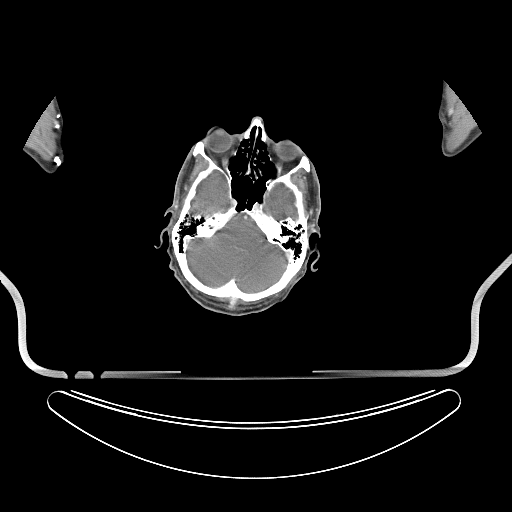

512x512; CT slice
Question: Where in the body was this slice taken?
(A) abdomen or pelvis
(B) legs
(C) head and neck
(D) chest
Answer: (C) head and neck
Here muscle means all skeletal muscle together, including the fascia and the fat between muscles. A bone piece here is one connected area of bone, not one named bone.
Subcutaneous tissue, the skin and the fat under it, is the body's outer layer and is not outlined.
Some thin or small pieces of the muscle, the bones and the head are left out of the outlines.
Outlines:
head: 255,116 272,140 291,139 314,164 320,236 312,234 309,243 317,243 319,256 315,261 317,253 311,254 304,276 283,301 231,316 205,309 174,278 165,231 162,245 155,245 191,146 215,125 240,134, around a hole outlined by 258,142 265,144 267,159 275,173 265,180 259,200 250,207 238,209 229,165 239,148 249,146 250,153 244,154 248,159 246,169 237,173 240,176 251,174 254,183 263,175 258,161 265,162 259,158 263,150
bones: 255,116 261,117 266,134 275,143 269,146 269,151 281,166 282,173 296,165 302,154 309,158 310,171 299,168 291,176 303,196 309,247 301,267 284,288 257,300 245,301 238,298 232,308 229,308 228,297 206,294 184,277 173,252 171,230 192,182 208,165 200,154 192,154 193,146 202,140 205,153 223,167 226,158 238,146 238,134 248,127, around holes outlined by 236,216 241,216 245,220 249,218 265,236 266,240 270,244 277,246 285,257 285,267 279,277 262,289 253,291 244,290 238,285 234,277 219,285 210,285 202,281 189,265 187,251 190,242 200,238 211,238 and by 258,142 265,144 275,175 265,180 259,200 250,207 238,209 229,165 239,148 243,150 249,146 250,153 244,154 248,159 246,169 237,173 240,176 251,174 254,183 263,175 258,161 265,162 259,158 263,150 and by 214,173 217,174 217,175 223,180 225,184 225,193 226,194 226,198 228,202 227,207 223,211 220,209 218,209 217,210 214,210 209,213 192,212 191,211 191,202 196,196 198,186 203,180 206,179 210,175 and by 278,184 281,184 287,188 291,192 293,196 293,206 295,208 295,212 296,213 296,216 294,218 290,215 286,215 281,218 277,219 271,213 266,211 265,209 266,208 266,206 268,204 268,199 270,197 272,190
brain 1: 236,216 241,216 245,220 249,218 265,236 266,240 270,244 277,246 285,257 285,267 279,277 262,289 253,291 244,290 238,285 234,277 219,285 210,285 202,281 189,265 187,251 190,242 200,238 211,238
brain 2: 214,173 217,174 217,175 223,180 225,184 225,193 226,194 226,198 228,202 227,207 223,211 220,209 218,209 217,210 214,210 209,213 192,212 191,211 191,202 196,196 198,186 203,180 206,179 210,175
brain 3: 278,184 281,184 287,188 291,192 293,196 293,206 295,208 295,212 296,213 296,216 294,218 290,215 286,215 281,218 277,219 271,213 266,211 265,209 266,208 266,206 268,204 268,199 270,197 272,190
right arm: 54,97 57,98 64,121 63,134 62,135 62,147 64,153 64,160 59,164 59,167 55,173 47,173 27,154 23,152 23,147 28,141 28,138 30,137 30,134 32,133 38,120 40,119 40,117
left arm: 442,81 445,81 449,87 453,90 465,106 471,117 473,118 475,123 477,124 481,131 481,135 466,149 459,154 452,157 447,157 443,155 440,149 440,140 442,133 442,127 438,118 438,106 440,102
muscle 1: 448,86 453,90 465,106 466,109 469,112 471,117 473,118 476,124 474,128 471,131 469,136 459,147 453,151 448,151 445,148 445,139 444,138 446,126 444,122 443,112 445,106 445,91 446,89 448,88
muscle 2: 51,101 52,101 53,105 59,117 58,153 54,161 48,162 42,159 37,153 36,153 33,150 28,148 25,145 28,141 28,138 30,137 30,134 32,133 32,131 38,122 38,120 40,119 40,117
muscle 3: 299,169 303,169 307,173 309,173 311,171 311,169 311,178 313,181 313,196 314,197 313,198 313,206 314,209 312,215 312,226 310,228 308,225 308,214 306,211 304,203 303,193 298,185 292,179 292,176
muscle 4: 197,155 200,155 206,161 207,165 205,168 200,170 197,173 196,176 191,182 185,194 182,205 180,208 177,218 176,218 176,209 175,208 177,203 177,196 182,189 182,184 186,177 186,174 192,166 194,157
muscle 5: 301,268 301,270 297,274 290,285 276,298 265,303 261,303 259,305 256,305 252,307 242,308 241,309 230,309 233,308 233,306 238,299 240,299 245,302 251,302 266,298 271,295 280,292 286,287
muscle 6: 177,263 178,267 183,277 194,288 195,288 198,291 209,296 217,297 218,298 228,298 229,299 229,306 228,308 208,302 196,294 191,289 190,286 184,280 180,274 177,267